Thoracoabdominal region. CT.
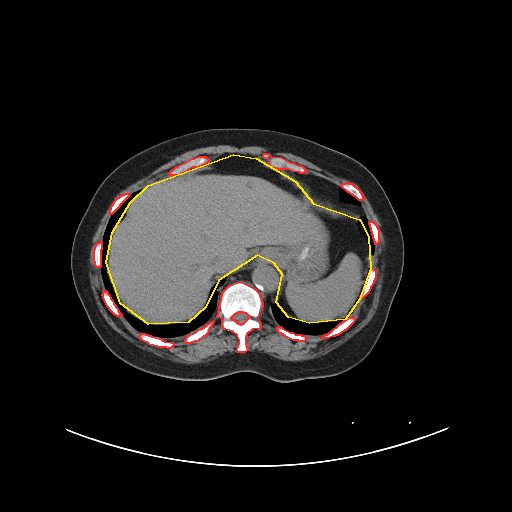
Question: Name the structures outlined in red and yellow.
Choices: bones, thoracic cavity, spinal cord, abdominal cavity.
Answer: red: bones; yellow: abdominal cavity.
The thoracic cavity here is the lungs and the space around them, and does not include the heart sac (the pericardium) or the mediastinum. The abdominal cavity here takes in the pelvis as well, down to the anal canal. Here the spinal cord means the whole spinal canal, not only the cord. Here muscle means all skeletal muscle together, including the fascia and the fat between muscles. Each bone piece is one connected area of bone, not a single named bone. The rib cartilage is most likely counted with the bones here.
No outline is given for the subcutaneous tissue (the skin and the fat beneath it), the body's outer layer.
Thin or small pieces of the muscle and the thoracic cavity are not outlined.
{"bones":[{"outer":[[240,281],[254,288],[258,292],[262,303],[262,307],[257,317],[260,323],[260,328],[252,329],[246,334],[245,343],[247,350],[244,352],[238,352],[236,350],[239,344],[239,339],[237,335],[232,331],[222,328],[222,319],[217,317],[222,292],[229,285]],"hole":[[239,311],[241,311],[242,312],[245,312],[249,316],[249,317],[242,324],[239,324],[238,323],[237,323],[234,320],[233,320],[232,319],[231,319],[231,317],[235,313],[236,313],[237,312],[238,312]]},[[264,153],[267,153],[269,154],[270,156],[281,157],[290,162],[292,162],[298,165],[300,165],[302,166],[306,170],[306,171],[304,173],[300,173],[299,172],[292,171],[288,169],[278,169],[277,168],[272,168],[270,167],[268,159],[263,157],[263,154]],[[198,156],[205,156],[208,159],[208,162],[205,163],[203,165],[201,165],[197,167],[192,167],[188,169],[183,173],[181,173],[178,175],[170,175],[169,174],[170,171],[176,166],[192,158],[194,158]],[[141,333],[144,333],[145,334],[147,334],[148,335],[150,335],[151,336],[159,338],[164,341],[171,342],[173,343],[174,345],[169,348],[167,348],[166,347],[158,347],[157,346],[149,344],[147,342],[142,340],[139,337]],[[349,317],[353,317],[354,318],[354,320],[353,322],[345,330],[344,330],[337,335],[335,335],[334,336],[332,336],[328,338],[321,338],[323,336],[323,335],[325,334],[327,334],[329,332],[330,332],[340,323],[341,323],[344,320],[345,320]],[[211,321],[213,321],[213,322],[211,326],[209,328],[207,333],[204,336],[203,336],[198,340],[196,341],[194,341],[193,342],[191,342],[190,343],[186,343],[185,342],[185,339],[188,335],[195,332],[198,329],[200,328],[202,328]],[[278,326],[280,326],[282,328],[290,332],[292,332],[295,334],[300,334],[301,335],[304,335],[305,336],[305,340],[303,341],[299,341],[298,340],[293,340],[285,336],[283,334],[281,333],[279,333],[277,330],[277,328]],[[371,268],[372,268],[375,270],[375,278],[374,279],[374,280],[373,281],[373,283],[370,287],[368,292],[362,298],[360,298],[360,296],[363,291],[364,286],[366,283],[366,281],[367,280],[367,278],[368,277],[368,275],[369,274],[369,272],[370,271]],[[104,290],[105,290],[109,295],[110,298],[112,300],[113,303],[117,308],[118,311],[121,314],[121,316],[117,316],[116,315],[115,315],[109,309],[109,308],[107,306],[107,305],[103,298],[103,296],[102,295],[102,294],[103,293],[103,291]],[[346,182],[347,182],[348,183],[351,183],[354,186],[355,186],[359,190],[359,191],[361,193],[361,194],[363,197],[363,198],[361,200],[359,200],[355,196],[354,196],[352,194],[351,194],[349,192],[348,192],[341,186],[341,185],[343,183],[345,183]],[[100,241],[101,241],[101,249],[100,250],[100,266],[99,267],[97,267],[95,265],[95,262],[94,261],[94,249],[95,248],[95,246],[96,245],[96,244],[98,242],[99,242]],[[125,193],[128,193],[129,194],[129,195],[119,205],[119,206],[111,214],[110,214],[110,209],[111,208],[111,206],[113,204],[113,203],[114,202],[114,201],[118,197],[119,197],[121,195],[122,195],[123,194],[124,194]],[[369,221],[372,221],[376,225],[376,226],[377,227],[377,228],[378,229],[378,242],[376,244],[375,244],[375,242],[374,241],[374,239],[373,238],[373,235],[372,234],[372,232],[371,231],[371,228],[370,227],[370,225],[369,224]]],"abdominal_cavity":[[[233,154],[256,158],[295,181],[313,203],[359,219],[368,236],[370,268],[359,299],[345,319],[309,323],[288,317],[276,302],[282,274],[274,263],[257,255],[218,280],[205,307],[188,322],[148,324],[120,303],[106,262],[112,232],[130,202],[148,185]]],"spinal_cord":[[[239,311],[241,311],[242,312],[245,312],[249,316],[249,317],[242,324],[239,324],[238,323],[237,323],[234,320],[233,320],[232,319],[231,319],[231,317],[235,313],[236,313],[237,312],[238,312]]],"torso":[[[209,128],[268,129],[307,138],[354,158],[382,186],[400,224],[403,270],[376,344],[353,368],[333,376],[290,382],[274,381],[252,372],[203,381],[174,379],[122,361],[92,327],[74,286],[70,259],[76,229],[95,191],[112,170],[132,155],[172,137]]],"muscle":[[[216,145],[266,146],[302,157],[356,183],[377,215],[386,241],[386,268],[379,305],[365,326],[331,351],[306,360],[282,360],[257,351],[245,352],[248,350],[246,336],[261,328],[258,317],[262,308],[278,325],[277,332],[293,341],[303,342],[306,335],[322,335],[321,339],[328,339],[345,331],[355,320],[350,314],[376,278],[376,270],[370,263],[379,242],[379,229],[364,213],[360,201],[364,197],[351,182],[337,185],[305,173],[307,170],[300,164],[267,152],[262,157],[267,159],[269,166],[249,154],[224,154],[210,161],[205,155],[198,155],[173,167],[168,173],[172,176],[130,194],[121,194],[110,206],[111,215],[102,239],[93,249],[94,265],[100,269],[105,289],[101,295],[106,306],[139,332],[138,337],[142,341],[167,349],[175,345],[170,341],[178,338],[185,338],[186,344],[196,342],[208,333],[214,322],[209,320],[217,310],[221,328],[236,335],[238,344],[235,350],[243,353],[200,363],[176,362],[136,346],[115,331],[99,311],[88,275],[89,248],[94,229],[106,207],[127,186],[176,156]]],"mediastinum":[[[256,256],[265,258],[274,264],[281,274],[281,287],[279,290],[279,295],[277,296],[275,302],[272,303],[269,307],[263,307],[259,292],[244,281],[240,280],[229,284],[223,289],[220,294],[220,288],[224,283],[224,278],[229,274],[239,270],[250,258]],[[280,170],[288,170],[300,174],[310,174],[327,180],[337,186],[339,186],[339,191],[340,192],[341,198],[347,203],[360,206],[363,213],[365,215],[363,215],[360,218],[357,218],[350,215],[337,214],[335,212],[313,202],[308,198],[307,191],[300,184]]],"thoracic_cavity":[[[141,188],[129,202],[107,243],[105,262],[107,277],[115,296],[125,311],[152,326],[188,323],[206,307],[212,288],[223,279],[219,288],[218,308],[205,325],[185,337],[169,341],[138,331],[119,311],[105,288],[101,274],[102,240],[107,224],[120,205]],[[274,303],[277,303],[278,304],[281,311],[288,318],[292,320],[295,320],[298,322],[308,323],[309,324],[341,322],[327,333],[316,334],[315,335],[314,334],[306,334],[305,335],[300,333],[295,333],[279,325],[270,316],[269,313],[265,308],[269,308]],[[363,216],[365,216],[368,220],[368,224],[369,225],[369,227],[370,228],[370,231],[372,235],[372,238],[374,242],[374,251],[372,254],[370,253],[370,242],[369,241],[369,236],[366,230],[364,229],[360,221],[360,219]],[[340,187],[341,187],[348,193],[349,193],[351,195],[352,195],[354,197],[355,197],[360,202],[360,205],[357,205],[356,204],[354,204],[353,203],[350,203],[349,202],[347,202],[346,201],[345,201],[342,198],[342,197],[341,196],[341,192],[340,191]]]}